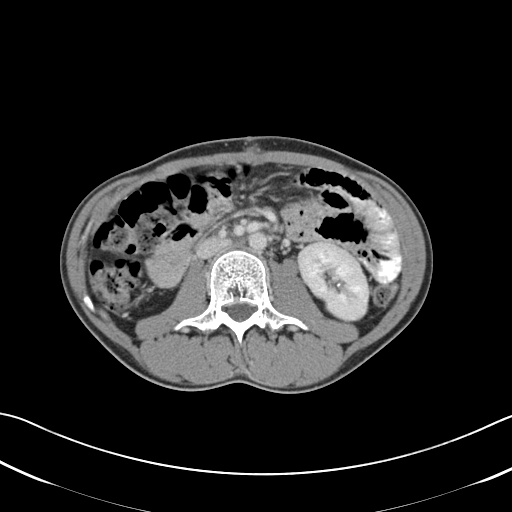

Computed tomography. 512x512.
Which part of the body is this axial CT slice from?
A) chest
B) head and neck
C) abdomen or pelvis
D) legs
Answer: C) abdomen or pelvis
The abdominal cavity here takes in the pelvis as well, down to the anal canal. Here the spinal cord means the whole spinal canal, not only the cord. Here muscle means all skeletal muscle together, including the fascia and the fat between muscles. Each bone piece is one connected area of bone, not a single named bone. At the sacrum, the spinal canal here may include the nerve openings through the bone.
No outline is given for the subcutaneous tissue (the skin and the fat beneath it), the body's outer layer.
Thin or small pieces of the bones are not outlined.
The torso is outlined by 246 135; 282 135; 319 143; 376 168; 399 184; 420 211; 431 238; 433 271; 427 296; 412 321; 395 338; 353 371; 324 387; 277 393; 245 383; 199 391; 160 386; 118 361; 70 306; 59 273; 66 224; 92 188; 119 172; 186 145. The bones are outlined by 236 249; 251 253; 262 261; 271 304; 279 312; 301 320; 308 329; 293 324; 275 330; 268 325; 264 328; 253 325; 245 331; 241 344; 225 325; 212 331; 202 331; 194 326; 173 329; 181 320; 206 309; 210 299; 211 269; 220 255 with a hole at 235 303; 248 303; 251 305; 253 305; 255 306; 256 307; 256 309; 247 318; 246 318; 244 320; 242 320; 241 321; 238 321; 232 318; 226 311; 223 310; 223 306; 225 305; 231 305. The muscle is outlined by 247 150; 281 150; 316 155; 374 175; 389 184; 409 205; 423 234; 426 264; 420 289; 408 311; 394 327; 378 340; 354 353; 337 371; 315 383; 296 387; 275 387; 259 383; 245 375; 235 375; 221 381; 206 384; 177 383; 162 379; 140 366; 125 349; 100 331; 88 318; 77 301; 70 286; 66 268; 66 250; 72 227; 85 204; 100 190; 119 179; 150 171; 159 165; 180 158; inner edge: 240 161; 342 172; 389 211; 399 291; 369 331; 324 315; 291 258; 269 266; 271 304; 306 330; 253 325; 241 344; 225 325; 174 330; 208 306; 201 259; 165 309; 135 322; 133 336; 101 307; 88 308; 88 242; 122 198; 151 178. The spinal cord is outlined by 235 303; 248 303; 251 305; 253 305; 255 306; 256 307; 256 309; 247 318; 246 318; 244 320; 242 320; 241 321; 238 321; 232 318; 226 311; 223 310; 223 306; 225 305; 231 305. The abdominal cavity is outlined by 240 161; 342 172; 389 211; 401 246; 399 291; 369 331; 324 315; 291 258; 269 266; 272 303; 263 261; 237 248; 212 265; 209 297; 209 266; 195 259; 171 303; 138 319; 133 336; 94 304; 88 242; 122 198; 151 178.